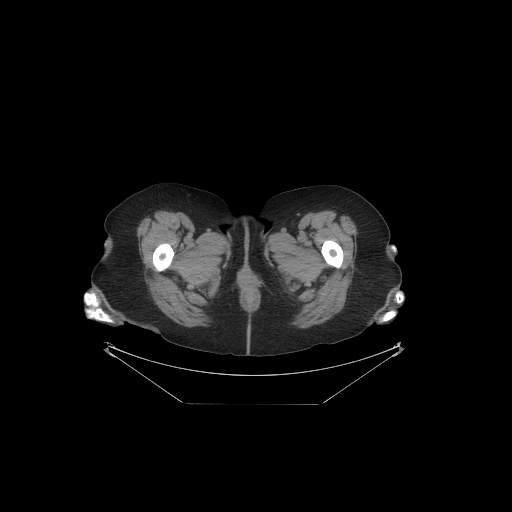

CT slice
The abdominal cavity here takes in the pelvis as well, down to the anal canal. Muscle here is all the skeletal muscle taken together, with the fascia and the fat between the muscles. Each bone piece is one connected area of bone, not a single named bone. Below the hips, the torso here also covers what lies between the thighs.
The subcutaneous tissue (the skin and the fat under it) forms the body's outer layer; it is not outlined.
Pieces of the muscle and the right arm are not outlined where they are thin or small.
{"right_leg":[[[158,182],[178,182],[212,192],[221,197],[234,214],[229,226],[229,237],[236,260],[238,302],[246,317],[246,356],[217,355],[181,347],[167,342],[149,329],[125,323],[105,302],[96,287],[90,284],[91,271],[107,249],[103,227],[107,213],[132,193]]],"torso":[[[243,212],[250,212],[253,214],[259,212],[263,221],[264,228],[264,237],[259,259],[261,295],[258,306],[251,314],[250,318],[251,356],[247,356],[247,317],[246,314],[242,311],[239,302],[239,288],[236,280],[237,260],[230,237],[230,226],[235,215]]],"muscle":[{"outer":[[311,206],[333,206],[346,211],[350,215],[358,231],[356,238],[357,250],[354,262],[355,271],[348,289],[344,308],[338,314],[317,326],[304,329],[292,329],[288,325],[288,320],[292,316],[294,308],[268,268],[264,256],[264,246],[268,236],[278,226]],"hole":[[326,239],[331,239],[332,240],[334,240],[336,242],[337,242],[342,248],[342,250],[343,251],[343,261],[341,264],[341,266],[339,268],[337,268],[336,267],[334,267],[333,266],[329,265],[325,261],[321,253],[321,247],[322,246],[322,244],[324,240]]},{"outer":[[159,205],[176,208],[201,226],[210,227],[226,234],[234,247],[218,296],[208,309],[208,313],[213,319],[213,322],[208,327],[185,327],[175,323],[161,312],[150,296],[148,287],[144,281],[144,265],[138,250],[136,228],[138,226],[138,218],[145,212]],"hole":[[164,242],[166,242],[168,243],[172,247],[174,251],[174,255],[173,256],[173,258],[172,259],[172,261],[170,265],[166,269],[162,271],[157,271],[152,262],[152,254],[153,253],[153,251],[154,249],[160,243],[163,243]]},{"outer":[[248,263],[259,274],[263,282],[263,284],[260,289],[263,293],[263,299],[260,303],[261,304],[260,307],[257,311],[251,313],[246,313],[244,312],[241,308],[239,303],[238,289],[235,285],[235,279],[236,278],[236,271],[237,269],[240,265],[247,264]],"hole":[[245,268],[248,268],[250,273],[253,277],[253,279],[255,282],[255,287],[254,288],[254,292],[257,294],[257,299],[256,300],[256,302],[251,306],[246,305],[246,304],[244,302],[244,299],[243,298],[244,296],[244,286],[241,282],[241,273],[243,269]]},[[92,287],[93,287],[97,292],[98,295],[103,301],[105,305],[105,307],[112,314],[113,314],[117,319],[121,321],[122,323],[116,324],[114,326],[110,325],[115,323],[115,319],[100,306],[100,300],[97,296],[97,294],[94,291],[91,291]],[[394,293],[394,300],[397,304],[400,305],[399,307],[399,310],[395,308],[392,308],[391,309],[389,309],[385,311],[377,319],[376,322],[376,321],[374,319],[381,313],[382,313],[388,307],[390,303],[390,301]]],"bones":[[[86,292],[94,292],[96,294],[96,296],[99,300],[99,306],[114,319],[114,323],[110,324],[105,322],[100,322],[99,321],[96,321],[93,319],[88,319],[88,318],[86,317],[84,310],[87,306],[84,302],[84,300],[83,299],[83,296]],[[326,239],[331,239],[332,240],[334,240],[336,242],[337,242],[342,248],[342,250],[343,251],[343,261],[341,264],[341,266],[339,268],[337,268],[336,267],[334,267],[333,266],[329,265],[325,261],[321,253],[321,247],[322,246],[322,244],[324,240]],[[164,242],[166,242],[168,243],[172,247],[174,251],[174,255],[173,256],[173,258],[172,259],[172,261],[170,265],[166,269],[162,271],[157,271],[152,262],[152,254],[153,253],[153,251],[154,249],[160,243],[163,243]],[[392,309],[395,309],[398,311],[398,312],[397,313],[397,315],[396,315],[395,316],[395,317],[393,319],[392,319],[385,323],[383,323],[382,324],[378,324],[377,323],[377,321],[378,320],[378,319],[385,312],[386,312],[389,310],[391,310]],[[398,290],[401,290],[403,292],[403,294],[404,295],[404,299],[403,300],[403,301],[400,304],[399,304],[398,303],[397,303],[396,302],[396,301],[395,300],[395,293]]],"left_leg":[[[315,184],[345,186],[362,195],[376,207],[390,230],[387,250],[401,268],[401,286],[389,294],[387,303],[376,314],[373,323],[352,338],[289,354],[252,357],[251,318],[262,295],[260,259],[265,237],[264,221],[259,211],[270,197],[280,192]]],"right_arm":[[[90,285],[95,287],[97,291],[100,294],[100,296],[103,299],[104,302],[117,316],[123,320],[124,324],[119,326],[112,326],[104,322],[93,321],[91,319],[88,319],[88,318],[86,317],[85,312],[82,306],[82,303],[84,300],[83,299],[84,290]]],"left_arm":[[[400,287],[401,288],[401,290],[404,294],[404,304],[403,306],[399,309],[397,313],[397,315],[396,315],[392,320],[392,321],[388,324],[384,325],[383,324],[378,324],[377,323],[374,323],[373,321],[377,314],[388,303],[390,294]],[[390,241],[390,242],[394,246],[394,248],[393,249],[394,250],[395,250],[397,252],[397,256],[396,257],[396,258],[394,258],[393,257],[392,257],[392,256],[390,254],[390,253],[389,252],[389,251],[388,250],[388,244],[389,243],[389,242]]],"abdominal_cavity":[[[245,268],[248,268],[250,273],[253,277],[253,279],[255,282],[255,287],[254,288],[254,292],[257,294],[257,299],[256,300],[256,302],[251,306],[246,305],[246,304],[244,302],[244,299],[243,298],[244,296],[244,286],[241,282],[241,273],[243,269]]]}